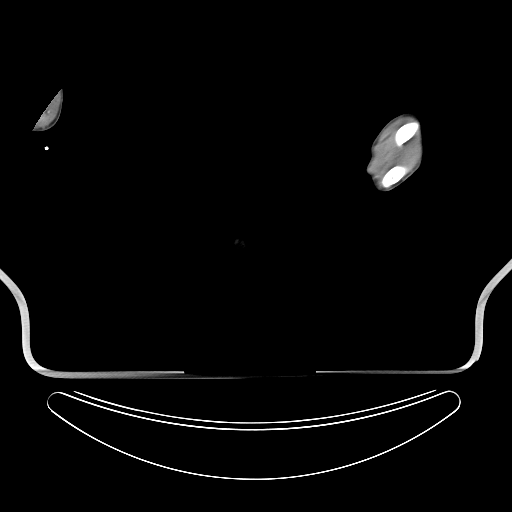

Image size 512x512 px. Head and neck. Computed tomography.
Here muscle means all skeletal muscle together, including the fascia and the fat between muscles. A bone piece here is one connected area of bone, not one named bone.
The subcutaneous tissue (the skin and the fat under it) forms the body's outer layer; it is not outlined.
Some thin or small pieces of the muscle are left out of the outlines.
Outlined structures:
right arm: 60,89 63,89 64,97 63,98 63,104 62,105 61,114 58,121 55,125 50,129 41,132 35,132 33,131 33,128 36,124 36,122 38,121 38,118 40,117 40,114 42,113 46,106 48,105
muscle 1: 404,116 410,116 414,119 407,121 398,127 394,132 393,140 397,146 401,146 419,132 420,153 418,161 416,165 409,171 409,169 405,165 395,164 384,173 379,183 371,168 374,158 375,146 385,129 398,118
muscle 2: 57,93 57,97 59,99 59,103 58,104 58,108 54,118 46,126 44,127 34,126 36,124 36,122 38,121 38,118 40,117 40,114 42,113 42,112 45,109 46,106 48,105 48,104
left arm: 403,112 414,112 420,118 421,125 423,129 423,143 424,144 423,159 420,167 403,183 390,191 379,192 376,191 372,187 370,179 365,172 365,168 368,163 370,156 370,153 369,152 370,145 381,128 391,118
bones 1: 415,119 417,120 420,123 420,127 419,128 419,131 416,132 411,138 410,138 408,140 404,142 401,145 397,145 394,140 394,135 395,134 395,132 398,129 398,128 399,128 403,124 407,122 412,121
bones 2: 395,165 403,165 405,166 408,169 408,171 407,173 405,175 404,175 398,181 397,181 395,183 393,183 391,184 389,186 387,186 385,187 381,185 380,183 380,181 382,177 389,169 390,169
head and neck: 236,239 237,239 238,239 238,240 239,241 238,242 237,242 236,243 235,242 235,241 236,240